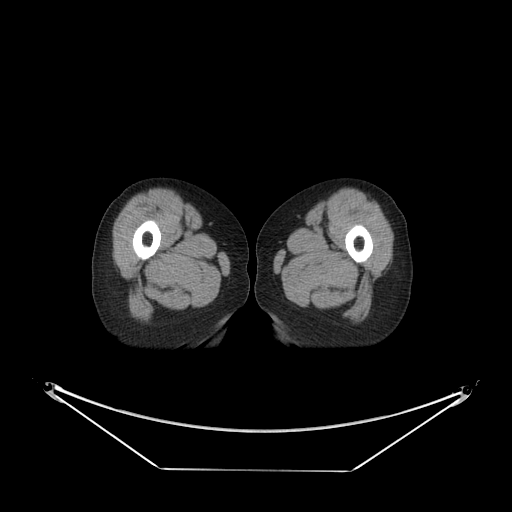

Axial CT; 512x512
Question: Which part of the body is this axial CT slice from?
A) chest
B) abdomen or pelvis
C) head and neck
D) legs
Answer: D) legs
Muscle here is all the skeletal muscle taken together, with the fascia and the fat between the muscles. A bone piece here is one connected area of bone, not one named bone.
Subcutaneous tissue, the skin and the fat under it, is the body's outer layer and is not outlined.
bones 1: (148, 219) (152, 219) (156, 222) (159, 227) (159, 229) (161, 233) (161, 238) (160, 239) (159, 246) (155, 253) (147, 259) (143, 260) (138, 257) (135, 253) (132, 246) (132, 238) (133, 237) (133, 234) (135, 229) (141, 223) (145, 220) (147, 220)
bones 2: (355, 224) (361, 224) (368, 230) (368, 231) (370, 233) (370, 235) (372, 239) (372, 242) (373, 243) (373, 248) (372, 249) (372, 252) (371, 254) (365, 261) (363, 261) (362, 262) (356, 262) (349, 255) (345, 248) (345, 241) (344, 240) (345, 239) (345, 235) (348, 230)
left leg: (334, 177) (357, 177) (378, 185) (394, 199) (404, 214) (413, 260) (413, 280) (408, 307) (397, 328) (386, 339) (372, 347) (305, 350) (296, 347) (276, 346) (268, 336) (267, 331) (270, 319) (258, 306) (254, 296) (256, 237) (267, 217) (282, 202) (296, 192) (314, 183)
muscle 1: (346, 186) (355, 187) (376, 200) (389, 221) (394, 234) (392, 262) (385, 273) (378, 278) (374, 284) (372, 304) (369, 315) (358, 324) (349, 323) (335, 312) (297, 307) (288, 303) (284, 299) (278, 287) (273, 271) (273, 260) (279, 247) (287, 239) (305, 214) (318, 201), around a hole outlined by (355, 224) (361, 224) (368, 230) (368, 231) (370, 233) (370, 235) (372, 239) (372, 242) (373, 243) (373, 248) (372, 249) (372, 252) (371, 254) (365, 261) (363, 261) (362, 262) (356, 262) (349, 255) (345, 248) (345, 241) (344, 240) (345, 239) (345, 235) (348, 230)
muscle 2: (152, 187) (171, 188) (192, 203) (200, 213) (207, 230) (219, 249) (226, 253) (230, 263) (230, 278) (219, 296) (206, 306) (195, 310) (171, 310) (159, 306) (155, 309) (150, 323) (144, 324) (129, 315) (128, 284) (120, 275) (112, 257) (112, 226) (125, 203) (134, 194); inner edge: (148, 219) (152, 219) (156, 222) (159, 227) (159, 229) (161, 233) (161, 238) (160, 239) (159, 246) (155, 253) (147, 259) (143, 260) (138, 257) (135, 253) (132, 246) (132, 238) (133, 237) (133, 234) (135, 229) (141, 223) (145, 220) (147, 220)
right leg: (152, 176) (180, 178) (204, 188) (234, 213) (245, 231) (249, 246) (249, 294) (227, 323) (232, 334) (227, 346) (224, 341) (213, 350) (202, 351) (198, 347) (184, 353) (163, 354) (134, 350) (120, 344) (98, 318) (91, 295) (91, 257) (97, 227) (110, 202) (125, 187)